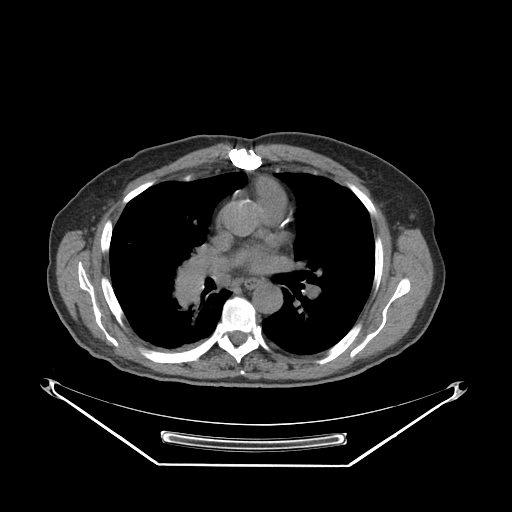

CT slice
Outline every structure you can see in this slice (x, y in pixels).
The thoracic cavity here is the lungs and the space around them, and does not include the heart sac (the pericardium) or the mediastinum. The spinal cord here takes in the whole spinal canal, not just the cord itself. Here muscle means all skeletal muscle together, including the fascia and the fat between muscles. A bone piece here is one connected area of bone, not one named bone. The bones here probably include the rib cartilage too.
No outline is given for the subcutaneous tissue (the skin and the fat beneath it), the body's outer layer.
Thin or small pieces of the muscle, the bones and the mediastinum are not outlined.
The muscle is outlined by 220 142; 243 146; 234 146; 227 152; 234 167; 214 168; 196 177; 189 172; 179 179; 142 182; 122 198; 123 208; 113 226; 109 218; 103 224; 99 243; 101 252; 108 253; 110 280; 102 275; 100 286; 117 323; 123 328; 126 319; 135 334; 153 348; 139 345; 139 353; 155 363; 179 364; 197 361; 216 344; 240 363; 245 355; 259 347; 270 352; 267 342; 270 342; 295 355; 325 351; 314 361; 323 365; 343 353; 361 331; 363 322; 357 319; 372 287; 374 295; 378 291; 384 266; 382 239; 379 235; 374 237; 370 217; 376 217; 377 210; 371 199; 349 181; 342 185; 315 169; 301 171; 263 165; 262 157; 252 147; 267 143; 309 149; 331 158; 359 177; 385 216; 394 244; 400 227; 421 231; 433 263; 433 281; 415 321; 396 343; 376 355; 317 378; 250 379; 243 376; 246 372; 243 369; 239 371; 241 375; 234 377; 195 378; 161 373; 117 356; 74 320; 56 281; 56 254; 64 234; 94 228; 113 207; 127 184; 137 177 with holes at 404 277; 408 278; 410 283; 410 288; 408 292; 396 298; 390 304; 386 312; 386 321; 380 331; 353 357; 350 357; 351 351; 358 344; 359 344; 369 333; 373 332; 380 325; 382 321; 382 312; 383 309; 394 293; 398 283; 400 280 and at 79 261; 82 264; 87 278; 93 286; 96 303; 101 313; 101 317; 100 318; 101 323; 107 332; 117 341; 118 346; 115 346; 106 338; 105 334; 96 322; 92 307; 91 297; 87 291; 80 287; 79 284; 79 280; 78 279; 78 262. The torso is outlined by 275 131; 321 134; 363 148; 400 169; 425 192; 433 210; 434 233; 446 273; 443 293; 424 333; 401 353; 359 374; 298 387; 160 381; 122 371; 79 346; 58 317; 47 291; 48 238; 55 214; 99 172; 140 149; 196 134; 254 137. The thoracic cavity appears in 2 outlined pieces: piece 1: 218 168; 237 168; 246 177; 241 187; 223 197; 214 207; 202 245; 207 255; 209 275; 218 288; 230 294; 222 305; 213 331; 201 342; 181 351; 154 349; 131 327; 115 294; 109 261; 113 227; 124 207; 151 186; 169 180; 189 182; piece 2: 298 171; 321 175; 347 187; 369 214; 374 238; 372 285; 356 321; 337 342; 326 350; 313 354; 291 353; 267 341; 261 325; 264 319; 282 307; 283 279; 287 273; 297 267; 294 257; 297 201; 291 188; 275 175. The pericardium is outlined by 258 174; 267 174; 275 178; 288 191; 291 197; 291 200; 293 201; 294 207; 293 239; 289 252; 272 272; 262 274; 240 273; 229 269; 223 263; 213 249; 213 244; 211 240; 212 225; 214 216; 222 203; 237 189; 249 183; 252 178. The mediastinum is outlined by 262 165; 297 171; 274 175; 290 188; 296 201; 296 267; 282 279; 281 307; 259 324; 248 299; 229 297; 218 287; 203 245; 215 207; 230 195; 213 216; 210 236; 229 270; 272 273; 290 252; 295 207; 294 201; 289 191; 278 179; 267 173; 246 183; 239 170. The spinal cord is outlined by 234 331; 240 331; 241 332; 243 332; 244 333; 245 333; 245 334; 246 335; 246 339; 245 340; 245 341; 244 342; 243 342; 241 344; 239 344; 238 345; 235 345; 231 341; 231 340; 230 339; 230 333; 231 333; 232 332; 233 332. The bones appear in 10 outlined pieces: piece 1: 235 296; 245 298; 255 309; 256 322; 261 326; 262 334; 270 351; 259 346; 237 362; 232 355; 216 343; 195 361; 161 363; 146 358; 138 350; 139 346; 143 346; 163 352; 181 352; 195 347; 211 335; 221 318; 225 301, around a hole outlined by 234 331; 240 331; 241 332; 243 332; 244 333; 245 333; 245 334; 246 335; 246 339; 245 340; 245 341; 244 342; 243 342; 241 344; 239 344; 238 345; 235 345; 231 341; 231 340; 230 339; 230 333; 231 333; 232 332; 233 332; piece 2: 404 277; 408 278; 410 283; 410 288; 408 292; 396 298; 390 304; 386 312; 386 321; 380 331; 353 357; 350 357; 351 351; 358 344; 359 344; 369 333; 373 332; 380 325; 382 321; 382 312; 383 309; 394 293; 398 283; 400 280; piece 3: 79 261; 82 264; 87 278; 93 286; 96 303; 101 313; 101 317; 100 318; 101 323; 107 332; 117 341; 118 346; 115 346; 106 338; 105 334; 96 322; 92 307; 91 297; 87 291; 80 287; 79 284; 79 280; 78 279; 78 262; piece 4: 234 147; 236 148; 240 148; 241 147; 244 147; 248 149; 249 148; 251 148; 257 155; 261 157; 262 164; 259 167; 255 169; 253 169; 252 170; 245 170; 241 168; 238 168; 237 167; 235 167; 232 164; 228 156; 228 152; 232 148; piece 5: 358 321; 361 321; 362 322; 361 329; 356 336; 355 339; 343 352; 342 352; 332 360; 328 361; 323 364; 318 364; 315 362; 315 361; 317 359; 323 357; 325 355; 326 351; 336 343; 337 343; 351 329; 351 328; 355 324; 355 323; piece 6: 102 276; 105 276; 107 277; 110 281; 114 294; 123 311; 123 313; 125 316; 125 318; 123 319; 123 322; 124 323; 124 326; 123 327; 122 327; 118 323; 116 318; 112 313; 105 299; 105 297; 103 293; 103 290; 101 286; 101 278; piece 7: 377 236; 379 236; 380 237; 381 242; 382 243; 382 248; 383 249; 383 266; 382 267; 382 272; 381 273; 379 286; 377 291; 375 294; 374 294; 373 292; 373 287; 372 286; 373 285; 373 279; 374 278; 374 272; 375 271; 375 237; piece 8: 347 182; 349 182; 350 183; 355 185; 360 190; 361 190; 370 199; 370 200; 372 202; 372 203; 376 210; 376 216; 371 216; 370 215; 370 214; 368 212; 367 209; 362 203; 362 202; 358 198; 358 197; 347 186; 346 186; 346 183; piece 9: 109 219; 111 220; 112 222; 112 232; 111 233; 111 238; 110 239; 110 243; 109 244; 109 250; 108 252; 105 252; 104 253; 102 252; 101 250; 101 244; 100 243; 100 241; 101 240; 101 235; 102 234; 104 224; 105 222; piece 10: 150 180; 154 180; 155 181; 154 184; 151 185; 149 187; 148 187; 146 189; 142 191; 139 194; 138 194; 136 196; 132 198; 124 206; 123 206; 122 204; 122 200; 123 198; 131 190; 132 190; 137 186; 140 185; 142 183; 144 183.